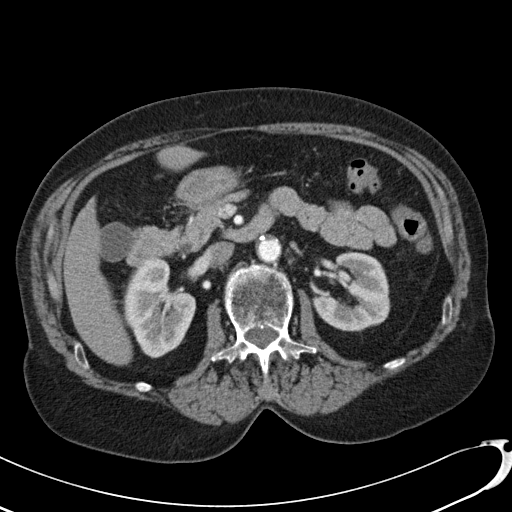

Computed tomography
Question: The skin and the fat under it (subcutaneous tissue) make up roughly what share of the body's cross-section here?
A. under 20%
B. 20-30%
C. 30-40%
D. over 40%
Answer: B. 20-30%
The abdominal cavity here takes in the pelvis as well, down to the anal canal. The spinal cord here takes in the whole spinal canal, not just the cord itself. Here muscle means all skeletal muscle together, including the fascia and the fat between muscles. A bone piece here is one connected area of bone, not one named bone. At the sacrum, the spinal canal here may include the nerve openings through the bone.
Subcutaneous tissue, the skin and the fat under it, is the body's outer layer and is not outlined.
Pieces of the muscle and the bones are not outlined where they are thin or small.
{"bones":[{"outer":[[251,264],[285,274],[293,294],[290,336],[297,342],[317,347],[316,353],[301,353],[297,360],[285,361],[279,357],[269,367],[267,383],[263,382],[260,366],[250,356],[230,364],[225,359],[215,362],[210,359],[236,339],[224,308],[226,281],[232,272]],"hole":[[255,328],[257,328],[261,330],[263,330],[265,328],[269,328],[275,331],[277,333],[277,336],[273,340],[272,340],[269,343],[268,343],[263,348],[261,348],[254,343],[252,343],[250,342],[246,338],[245,336],[245,335],[250,330],[252,329],[254,329]]},[[76,342],[79,342],[82,346],[83,351],[85,354],[85,356],[87,358],[87,360],[90,366],[89,369],[86,369],[85,370],[83,369],[81,367],[80,367],[76,363],[75,361],[75,359],[74,358],[74,350],[73,349],[73,346]],[[448,295],[450,296],[452,300],[452,306],[453,307],[453,312],[452,313],[452,319],[451,321],[448,324],[446,325],[442,325],[441,324],[441,317],[442,316],[442,310],[443,309],[443,304],[444,303],[444,301],[445,300],[445,298],[446,296]],[[444,210],[446,210],[448,212],[448,213],[450,216],[450,219],[451,220],[451,224],[452,225],[452,238],[451,239],[450,242],[449,242],[448,243],[446,243],[446,242],[445,241],[445,233],[444,232],[444,226],[443,225],[443,217],[442,216],[442,212]]],"torso":[[[259,86],[373,102],[421,126],[452,155],[477,196],[487,234],[495,343],[485,375],[453,409],[365,443],[314,439],[269,409],[233,448],[201,462],[149,462],[62,439],[37,413],[23,375],[28,341],[15,246],[38,185],[70,147],[126,111],[196,92]]],"abdominal_cavity":[[[240,130],[348,139],[413,174],[453,270],[439,322],[403,356],[378,366],[356,360],[327,343],[296,286],[303,342],[294,339],[289,279],[251,263],[228,275],[222,298],[204,311],[190,374],[161,388],[101,375],[60,323],[73,205],[84,188],[146,154]],[[222,300],[223,302],[223,308],[225,311],[225,313],[227,315],[227,317],[231,325],[233,327],[233,329],[234,330],[234,335],[235,336],[235,339],[233,343],[231,345],[227,347],[226,347],[226,342],[228,339],[225,336],[221,327],[221,302]]],"spinal_cord":[[[255,328],[257,328],[261,330],[263,330],[265,328],[269,328],[275,331],[277,333],[277,336],[273,340],[272,340],[269,343],[268,343],[263,348],[261,348],[254,343],[252,343],[250,342],[246,338],[245,336],[245,335],[250,330],[252,329],[254,329]]],"muscle":[{"outer":[[275,122],[327,122],[328,123],[347,124],[360,127],[373,132],[386,139],[415,149],[430,160],[446,175],[451,182],[457,195],[457,199],[461,210],[463,224],[465,229],[467,249],[471,261],[470,278],[468,282],[468,293],[466,298],[463,300],[461,304],[459,318],[456,323],[455,328],[447,336],[445,340],[427,357],[392,377],[372,385],[355,399],[340,409],[328,414],[317,413],[310,416],[303,416],[290,412],[275,402],[263,402],[249,415],[236,423],[224,422],[221,425],[212,426],[200,423],[189,418],[172,407],[164,405],[162,403],[152,402],[147,400],[140,400],[134,397],[119,395],[104,391],[86,384],[82,381],[81,378],[77,374],[67,367],[65,358],[50,345],[46,334],[36,314],[36,309],[33,304],[30,283],[31,276],[30,271],[31,236],[36,218],[47,198],[63,182],[70,177],[77,175],[84,169],[95,163],[100,158],[114,149],[138,139],[142,139],[162,133],[168,133],[173,131],[186,129],[194,129],[198,127],[219,128],[240,125],[258,125]],"holes":[[[240,130],[332,135],[402,164],[430,198],[453,270],[451,321],[386,369],[331,347],[296,286],[298,333],[317,351],[279,357],[267,383],[250,356],[211,361],[228,339],[221,297],[183,378],[139,391],[83,369],[59,316],[83,189],[151,152]],[[444,210],[446,210],[448,212],[448,213],[450,216],[450,219],[451,220],[451,224],[452,225],[452,238],[451,239],[450,242],[449,242],[448,243],[446,243],[446,242],[445,241],[445,233],[444,232],[444,226],[443,225],[443,217],[442,216],[442,212]],[[50,272],[53,274],[57,282],[57,290],[58,291],[58,294],[59,295],[59,299],[57,300],[54,299],[51,296],[50,294],[50,291],[48,287],[48,284],[47,283],[47,276],[48,275],[48,273]],[[52,221],[54,221],[55,222],[55,224],[54,225],[54,230],[53,231],[53,234],[52,235],[52,236],[51,237],[48,237],[47,236],[47,231],[48,230],[48,228],[49,227],[49,226],[50,225],[50,224],[52,222]],[[436,186],[439,186],[443,190],[443,191],[444,192],[444,199],[443,200],[442,200],[441,199],[440,199],[439,198],[439,197],[438,196],[438,195],[437,194],[437,193],[436,192]]]}]}